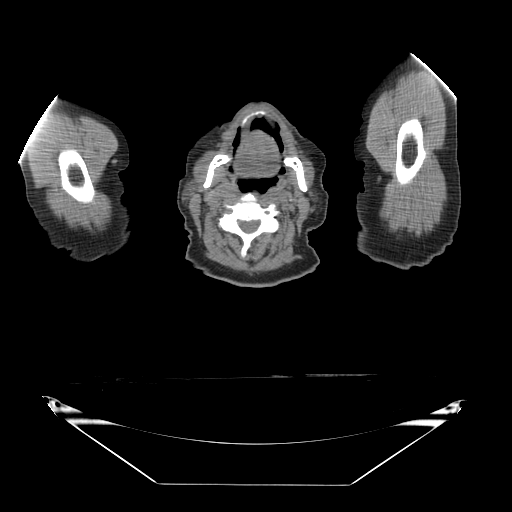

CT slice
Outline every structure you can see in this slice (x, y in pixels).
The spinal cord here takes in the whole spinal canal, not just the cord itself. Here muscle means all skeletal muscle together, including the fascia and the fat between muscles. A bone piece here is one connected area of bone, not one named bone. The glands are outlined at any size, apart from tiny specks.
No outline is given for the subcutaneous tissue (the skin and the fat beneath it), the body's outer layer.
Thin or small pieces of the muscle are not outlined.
spinal cord: [[253,220],[258,220],[259,221],[259,224],[258,225],[258,226],[257,227],[257,228],[254,231],[252,231],[251,232],[246,232],[245,231],[244,231],[240,227],[240,226],[239,225],[239,223],[238,222],[238,221],[246,221],[247,222],[248,221],[252,221]]
left arm: [[410,52],[424,62],[456,98],[461,208],[453,241],[445,251],[427,265],[403,270],[385,263],[376,263],[355,247],[356,231],[359,228],[355,200],[356,194],[364,188],[364,164],[354,157],[353,140],[359,132],[362,122],[361,109],[368,94],[386,72]]
right arm: [[56,96],[69,99],[111,119],[123,132],[129,148],[129,164],[119,172],[119,176],[124,184],[121,201],[127,206],[131,216],[129,225],[132,239],[121,251],[89,262],[75,261],[68,256],[66,250],[50,245],[26,200],[24,180],[17,161],[36,123]]
head and neck: [[255,100],[274,105],[301,134],[322,150],[326,158],[322,182],[329,196],[327,215],[324,222],[308,234],[320,262],[313,272],[270,287],[236,286],[192,267],[185,259],[188,234],[176,203],[178,180],[184,174],[190,147],[215,123],[229,120],[243,105]]; inner edges: [[262,178],[266,178],[267,179],[274,178],[275,179],[275,181],[264,191],[260,191],[258,189],[256,189],[254,188],[250,191],[246,191],[244,192],[242,191],[238,183],[238,182],[240,180],[250,180],[251,179],[261,179]], then [[258,118],[263,118],[265,121],[267,122],[268,125],[271,129],[272,130],[275,130],[277,132],[277,134],[279,136],[279,138],[281,142],[281,148],[279,146],[276,139],[271,133],[267,132],[259,127],[252,127],[251,126],[252,122],[255,119],[257,119]]
parotid glands 1: [[190,178],[192,178],[193,179],[195,179],[196,180],[196,182],[197,183],[197,188],[192,193],[192,194],[189,197],[189,198],[188,198],[186,200],[184,200],[183,199],[182,200],[182,191],[183,190],[184,185],[186,183],[186,182],[190,179]]
parotid glands 2: [[314,186],[315,187],[315,188],[317,190],[317,191],[318,192],[318,195],[319,196],[319,199],[320,200],[320,203],[319,204],[318,204],[317,203],[316,203],[310,197],[310,196],[309,195],[309,191],[312,188],[312,187],[313,187]]
bones 1: [[246,192],[251,192],[263,207],[274,203],[280,212],[275,217],[279,223],[278,229],[272,233],[263,232],[255,237],[251,241],[250,247],[243,257],[241,256],[242,239],[237,234],[221,229],[218,226],[218,219],[226,210],[224,204],[234,204]], around a hole outlined by [[253,220],[258,220],[259,221],[259,224],[258,225],[258,226],[257,227],[257,228],[254,231],[252,231],[251,232],[246,232],[245,231],[244,231],[240,227],[240,226],[239,225],[239,223],[238,222],[238,221],[246,221],[247,222],[248,221],[252,221]]
bones 2: [[414,117],[417,118],[420,121],[422,127],[422,131],[423,132],[423,145],[426,152],[426,156],[422,163],[420,169],[417,172],[412,181],[410,183],[405,185],[399,185],[395,176],[395,161],[397,154],[397,151],[396,150],[397,134],[401,124],[404,121]]
bones 3: [[68,148],[72,148],[77,150],[81,155],[85,163],[85,165],[87,168],[87,171],[89,174],[90,179],[95,190],[95,195],[92,201],[90,202],[83,203],[77,201],[68,194],[61,186],[60,170],[58,164],[58,155],[59,152],[62,149],[67,149]]
bones 4: [[285,156],[297,156],[301,161],[302,163],[302,166],[303,167],[303,170],[304,171],[304,177],[305,178],[305,180],[306,181],[306,184],[307,185],[307,190],[305,192],[302,191],[298,186],[295,171],[290,166],[287,166],[284,164],[283,162],[283,159]]
bones 5: [[216,154],[229,154],[231,155],[232,157],[231,158],[231,160],[228,162],[226,162],[223,164],[221,164],[217,166],[214,169],[214,171],[213,172],[213,177],[212,178],[211,184],[209,187],[205,188],[203,187],[203,183],[206,176],[208,165],[210,161]]
bones 6: [[258,110],[263,110],[267,114],[267,116],[262,116],[261,117],[255,117],[250,123],[248,123],[246,125],[245,125],[244,126],[244,127],[241,127],[241,122],[242,121],[243,118],[246,115],[249,114],[251,112],[253,112],[254,111],[257,111]]
muscle 1: [[252,105],[265,105],[275,111],[291,131],[293,136],[313,160],[315,167],[314,185],[308,191],[308,195],[316,204],[320,204],[319,212],[308,220],[303,226],[301,242],[304,257],[298,263],[279,272],[260,277],[239,274],[206,259],[200,252],[196,228],[193,220],[188,209],[182,202],[183,200],[186,201],[189,199],[198,188],[197,180],[192,177],[192,168],[196,159],[207,147],[219,137],[220,134],[236,119],[245,108]]; inner edges: [[262,178],[274,178],[275,181],[264,191],[255,188],[250,191],[261,206],[276,205],[280,212],[275,217],[279,227],[272,233],[263,232],[255,237],[243,257],[242,239],[221,229],[218,219],[226,210],[224,204],[234,204],[244,193],[238,183],[240,180]], then [[258,110],[263,110],[267,114],[267,116],[262,116],[261,117],[267,122],[272,130],[275,130],[277,132],[281,142],[281,148],[276,139],[271,133],[267,132],[259,127],[252,127],[250,123],[248,123],[244,127],[241,127],[241,122],[243,118],[251,112]], then [[285,156],[297,156],[301,161],[302,163],[302,166],[303,167],[303,170],[304,171],[304,177],[305,178],[305,180],[306,181],[306,184],[307,185],[307,190],[305,192],[302,191],[298,186],[295,171],[290,166],[287,166],[284,164],[283,162],[283,159]], then [[216,154],[229,154],[231,155],[232,157],[231,158],[231,160],[228,162],[226,162],[223,164],[221,164],[217,166],[214,169],[214,171],[213,172],[213,177],[212,178],[211,184],[209,187],[205,188],[203,187],[203,183],[206,176],[208,165],[210,161]]
muscle 2: [[413,65],[422,66],[427,68],[431,72],[443,91],[448,108],[443,169],[449,197],[444,218],[435,233],[420,242],[400,241],[392,238],[384,231],[377,221],[375,199],[376,176],[373,163],[365,147],[368,118],[374,102],[383,88],[394,77],[409,66]], around a hole outlined by [[414,117],[417,118],[420,121],[422,127],[422,131],[423,132],[423,145],[426,152],[426,156],[422,163],[420,169],[417,172],[412,181],[410,183],[405,185],[399,185],[395,176],[395,161],[397,154],[397,151],[396,150],[397,134],[401,124],[404,121]]
muscle 3: [[49,105],[56,109],[89,115],[109,127],[118,140],[118,150],[110,162],[108,172],[108,179],[115,208],[115,213],[111,225],[98,235],[79,235],[66,229],[47,211],[33,185],[34,184],[32,181],[32,177],[27,165],[23,149],[36,123]] with a hole at [[68,148],[72,148],[77,150],[81,155],[85,163],[85,165],[87,168],[87,171],[89,174],[90,179],[95,190],[95,195],[92,201],[90,202],[83,203],[77,201],[68,194],[61,186],[60,170],[58,164],[58,155],[59,152],[62,149],[67,149]]